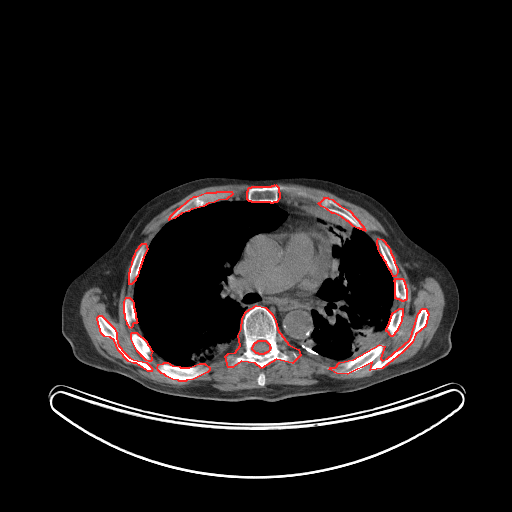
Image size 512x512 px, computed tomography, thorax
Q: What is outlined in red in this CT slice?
A: red: bones.
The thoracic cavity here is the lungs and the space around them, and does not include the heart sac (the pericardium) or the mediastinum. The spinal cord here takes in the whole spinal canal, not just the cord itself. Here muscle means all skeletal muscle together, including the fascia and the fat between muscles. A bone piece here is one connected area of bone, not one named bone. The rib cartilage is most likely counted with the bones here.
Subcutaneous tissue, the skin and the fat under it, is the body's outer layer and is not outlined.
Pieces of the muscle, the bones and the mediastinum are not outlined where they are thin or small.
The bones appear in 13 outlined pieces: piece 1: 256,305 265,307 271,313 275,320 277,329 288,344 298,349 300,355 292,363 276,359 261,368 255,363 241,361 232,367 228,367 225,356 228,353 235,352 240,345 238,335 241,329 242,318 246,311; inner edge: 258,340 265,340 269,344 269,346 270,347 270,348 269,349 269,350 267,352 266,352 265,353 264,353 263,354 259,354 258,353 256,353 252,349 252,347 253,346 253,345 254,344 254,343 255,342 256,342; piece 2: 422,308 425,308 428,313 425,326 415,334 412,342 402,352 382,368 370,370 372,362 347,374 336,373 329,369 330,367 335,367 339,362 353,359 379,344 384,346 380,358 382,360 387,358 410,339 418,313; piece 3: 164,362 167,362 172,365 179,366 180,367 189,367 199,363 204,363 209,367 209,370 207,372 193,379 186,380 185,381 179,381 178,380 172,379 166,376 164,374 161,373 158,370 157,368 158,364 163,363; piece 4: 217,191 231,191 232,194 226,199 218,200 214,202 208,203 203,206 191,209 188,211 181,213 174,218 169,220 169,218 171,215 178,208 179,208 188,200 194,196 196,196 206,192 216,192; piece 5: 275,184 278,187 278,191 279,192 279,198 276,202 273,202 272,203 271,203 270,202 252,202 251,201 249,201 247,199 247,191 248,190 248,188 249,187 251,187 252,186 271,186 272,185 274,185; piece 6: 99,315 101,315 114,328 116,333 116,338 118,345 124,352 129,357 133,359 146,362 151,367 152,369 151,371 148,371 136,363 133,363 128,361 118,350 114,340 110,337 104,336 101,333 97,319 97,317; piece 7: 324,197 327,197 328,198 332,199 339,205 349,210 362,225 365,230 363,230 362,229 360,229 359,228 357,228 353,226 348,221 347,221 342,217 334,213 332,213 327,209 321,206 318,203 320,202 324,198; piece 8: 142,243 145,243 147,249 143,256 143,258 142,259 142,261 141,262 141,264 140,265 140,267 139,268 137,276 135,278 135,280 131,284 129,284 129,272 130,271 130,268 132,264 133,257 135,254 136,250; piece 9: 132,332 136,332 146,341 147,344 149,346 150,349 152,351 150,355 151,357 151,360 150,361 148,361 146,360 142,356 141,356 141,355 137,351 131,339 131,333; piece 10: 378,238 382,239 388,246 390,250 390,252 393,257 393,259 394,260 394,262 397,269 397,272 395,276 393,276 391,271 389,269 386,262 384,260 383,257 381,255 378,249 378,246 377,245 377,240; piece 11: 126,297 129,297 132,300 133,302 133,307 134,308 134,311 135,312 135,317 136,318 136,321 137,322 136,323 133,323 132,324 132,326 130,328 127,324 127,322 125,318 125,314 124,313 124,301; piece 12: 399,308 402,308 402,316 401,317 401,321 397,328 397,330 394,333 394,334 392,336 391,336 389,334 389,333 387,331 386,331 386,328 389,323 389,321 390,320 390,318 391,317 391,315 392,314 392,313; piece 13: 395,278 402,278 403,279 403,280 404,281 404,283 405,284 405,287 406,288 406,299 405,300 404,300 403,301 402,301 401,300 400,300 399,299 397,299 396,298 395,298 395,282 394,281 394,280 395,279. The muscle appears in 4 outlined pieces: piece 1: 132,257 128,284 134,282 133,295 132,299 125,297 123,313 127,326 130,329 137,323 142,336 132,331 130,339 146,361 152,360 153,352 160,357 164,361 157,364 157,370 172,380 185,382 207,373 210,367 205,362 227,350 237,339 239,345 235,351 224,356 228,368 241,362 255,364 261,369 276,360 292,364 300,357 300,350 318,363 335,365 328,369 336,374 351,374 372,363 370,371 380,370 362,378 309,385 265,385 266,375 262,370 256,379 261,387 232,391 202,385 173,386 144,378 97,351 79,311 84,292 97,286 105,292 117,313 120,290, around a hole outlined by 99,315 101,315 114,328 116,333 116,338 118,345 124,352 129,357 133,359 146,362 151,367 152,369 151,371 148,371 136,363 133,363 128,361 118,350 114,340 110,337 104,336 101,333 97,319 97,317; piece 2: 389,246 397,255 413,285 418,288 419,283 426,277 433,277 437,280 443,291 445,304 440,323 425,349 416,357 381,369 413,342 416,334 426,326 429,315 428,310 422,307 417,313 409,339 390,355 381,358 385,346 380,343 385,332 392,337 402,321 403,308 399,307 393,311 394,301 396,299 403,302 407,299 404,279 402,277 394,279 398,269; piece 3: 276,184 299,184 326,190 340,198 364,208 384,227 387,232 387,235 384,238 387,244 382,238 378,237 376,240 376,245 354,214 332,198 324,196 317,203 318,204 312,202 294,203 279,200 280,192 279,187; piece 4: 227,184 251,185 247,188 246,199 227,199 233,194 231,190 206,191 194,195 170,215 168,221 157,232 147,247 146,243 142,242 136,249 142,241 143,235 141,232 143,228 148,222 164,209 198,189 209,186. The torso is outlined by 206,177 317,178 361,191 380,202 410,239 447,267 457,285 459,309 451,331 449,353 424,367 363,389 294,396 277,401 222,401 170,395 79,361 61,332 61,307 69,284 114,244 134,213 146,202 180,184. The pericardium is outlined by 288,231 315,231 320,234 323,234 328,239 331,248 331,267 329,271 321,279 317,289 312,294 310,295 309,293 305,297 299,298 278,297 261,292 252,284 244,265 244,252 248,243 253,238 259,235 269,235. The spinal cord is outlined by 258,340 265,340 269,344 269,346 270,347 270,348 269,349 269,350 267,352 266,352 265,353 264,353 263,354 259,354 258,353 256,353 252,349 252,347 253,346 253,345 254,344 254,343 255,342 256,342. The mediastinum appears in 2 outlined pieces: piece 1: 278,201 302,204 327,237 315,230 288,230 259,234 253,237 247,243 243,265 251,284 263,294 299,299 317,290 311,308 313,330 301,349 289,344 265,306 256,304 246,310 238,300 234,279 234,266 247,240 256,234 275,230 287,218; piece 2: 328,272 329,272 329,275 328,276 328,277 327,277 321,283 321,284 320,285 320,286 318,288 318,289 318,287 319,286 319,285 321,283 321,282 322,281 322,279 326,275 326,274. The thoracic cavity appears in 2 outlined pieces: piece 1: 222,200 274,203 284,210 287,216 275,229 262,231 249,237 233,266 237,300 245,309 237,338 227,349 215,354 209,360 189,366 175,365 165,361 155,353 143,337 133,301 135,281 150,243 166,223 181,214; piece 2: 304,203 318,205 353,227 364,231 377,247 394,282 392,312 380,342 353,358 330,365 312,359 301,350 306,339 314,330 312,308 316,294 322,283 329,277 333,264 332,246 328,235 319,228 314,215 302,205.